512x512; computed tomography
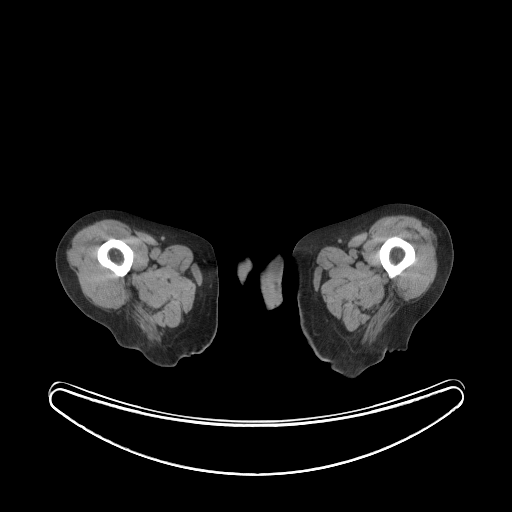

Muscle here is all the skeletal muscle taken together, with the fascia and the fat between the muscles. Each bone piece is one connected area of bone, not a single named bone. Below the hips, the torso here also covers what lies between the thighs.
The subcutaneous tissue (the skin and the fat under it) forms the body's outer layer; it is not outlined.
The torso appears in 2 outlined pieces: piece 1: 276 252; 280 252; 284 257; 284 269; 283 270; 283 276; 281 282; 283 301; 277 308; 271 310; 268 310; 266 309; 265 307; 259 289; 259 286; 258 285; 258 276; 260 270; 266 264; 269 258; piece 2: 245 255; 248 255; 250 256; 251 259; 254 263; 254 266; 253 267; 253 269; 247 276; 246 278; 246 280; 244 284; 243 285; 241 285; 236 275; 236 272; 235 271; 236 269; 236 263; 235 262; 236 260; 243 257. The bones appear in 2 outlined pieces: piece 1: 391 236; 399 236; 403 239; 411 243; 415 251; 415 258; 416 259; 415 261; 411 265; 405 268; 398 275; 395 276; 393 278; 390 278; 389 277; 387 272; 382 266; 380 262; 379 257; 378 256; 378 251; 381 245; 387 238; piece 2: 109 238; 116 238; 117 239; 124 240; 133 251; 134 257; 133 258; 132 265; 129 271; 124 276; 117 276; 115 275; 115 274; 111 270; 106 267; 104 267; 97 259; 97 257; 96 256; 96 250; 97 248; 102 243; 106 241. The muscle appears in 2 outlined pieces: piece 1: 393 214; 412 215; 426 222; 430 226; 438 240; 437 272; 427 291; 417 301; 402 307; 384 326; 377 339; 370 347; 359 353; 354 353; 345 340; 336 332; 328 314; 311 289; 311 265; 321 248; 338 244; 353 235; 364 231; 380 217 with a hole at 391 236; 399 236; 403 239; 411 243; 415 251; 415 258; 416 259; 415 261; 411 265; 405 268; 398 275; 395 276; 393 278; 390 278; 389 277; 387 272; 382 266; 380 262; 379 257; 378 256; 378 251; 381 245; 387 238; piece 2: 107 218; 119 220; 131 228; 144 231; 158 241; 185 245; 193 252; 202 274; 201 289; 190 313; 186 328; 165 345; 150 345; 140 332; 125 318; 114 313; 106 312; 89 302; 81 291; 75 273; 69 267; 65 253; 67 241; 83 227, around a hole outlined by 109 238; 116 238; 117 239; 124 240; 133 251; 134 257; 133 258; 132 265; 129 271; 124 276; 117 276; 115 275; 115 274; 111 270; 106 267; 104 267; 97 259; 97 257; 96 256; 96 250; 97 248; 102 243; 106 241. The left leg is outlined by 393 202; 423 207; 433 212; 445 223; 453 244; 452 269; 442 294; 414 327; 407 349; 387 352; 381 361; 367 368; 359 376; 347 378; 333 370; 328 363; 314 354; 302 332; 296 300; 298 281; 292 251; 297 241; 314 229. The right leg is outlined by 100 209; 123 210; 156 222; 181 228; 205 238; 212 245; 217 261; 219 278; 218 324; 212 342; 203 352; 184 357; 173 367; 154 365; 139 351; 120 346; 106 327; 86 316; 68 297; 60 283; 55 268; 57 245; 72 223; 83 215.